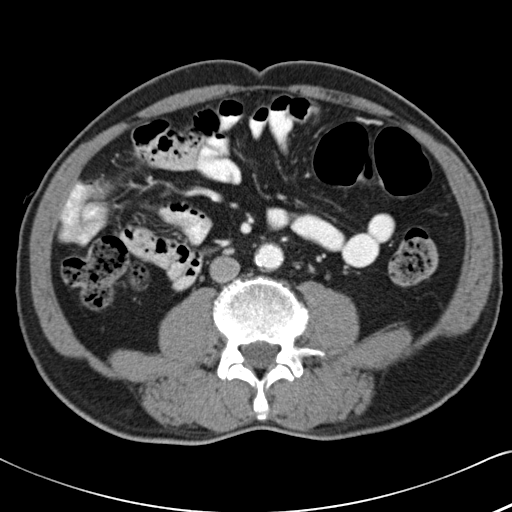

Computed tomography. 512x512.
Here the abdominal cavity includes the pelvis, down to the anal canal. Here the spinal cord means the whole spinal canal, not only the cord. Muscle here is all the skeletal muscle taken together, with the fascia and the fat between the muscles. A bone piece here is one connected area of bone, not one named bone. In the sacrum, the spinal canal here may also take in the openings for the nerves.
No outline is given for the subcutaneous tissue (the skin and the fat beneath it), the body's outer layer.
The spinal cord is outlined by [[255,342],[265,342],[270,345],[278,345],[279,346],[279,350],[276,353],[274,358],[274,361],[275,362],[275,365],[274,366],[267,370],[255,370],[250,367],[247,367],[243,364],[245,358],[242,354],[239,347],[241,345],[248,345],[251,343],[254,343]]. The abdominal cavity is outlined by [[254,90],[362,111],[429,151],[464,226],[449,303],[417,336],[397,321],[356,341],[356,314],[339,291],[312,279],[296,293],[283,279],[236,277],[172,307],[158,352],[122,348],[102,360],[76,337],[51,272],[54,232],[83,168],[146,119]]. The muscle is outlined by [[214,84],[309,84],[363,97],[452,148],[479,189],[494,264],[477,322],[463,335],[434,343],[417,359],[389,369],[360,419],[319,431],[260,421],[270,410],[266,390],[278,380],[301,377],[304,357],[326,354],[295,344],[310,318],[298,284],[312,280],[342,294],[355,314],[356,342],[397,322],[417,337],[450,303],[466,241],[458,202],[430,151],[397,124],[353,107],[254,89],[146,118],[85,164],[53,232],[55,297],[75,337],[104,362],[122,349],[158,353],[160,325],[168,312],[193,290],[213,288],[212,322],[225,340],[215,374],[255,389],[257,420],[220,433],[158,423],[121,384],[56,352],[41,329],[30,291],[28,244],[54,173],[79,144],[108,125],[163,97]]. The torso is outlined by [[217,58],[260,69],[315,60],[365,74],[431,116],[478,170],[498,215],[504,293],[479,369],[435,411],[391,430],[339,440],[258,429],[202,445],[145,443],[86,421],[38,374],[20,335],[14,298],[18,227],[29,196],[62,148],[120,96],[172,68]]. The bones are outlined by [[258,275],[287,282],[307,308],[306,327],[294,344],[325,353],[304,356],[301,376],[292,381],[278,379],[265,390],[269,410],[264,420],[258,420],[253,409],[254,387],[244,380],[221,379],[216,374],[226,340],[212,317],[213,301],[223,286],[236,278]], around a hole outlined by [[255,342],[265,342],[270,345],[278,345],[279,346],[279,350],[276,353],[274,358],[274,361],[275,362],[275,365],[274,366],[267,370],[255,370],[250,367],[247,367],[243,364],[245,358],[242,354],[239,347],[241,345],[248,345],[251,343],[254,343]].